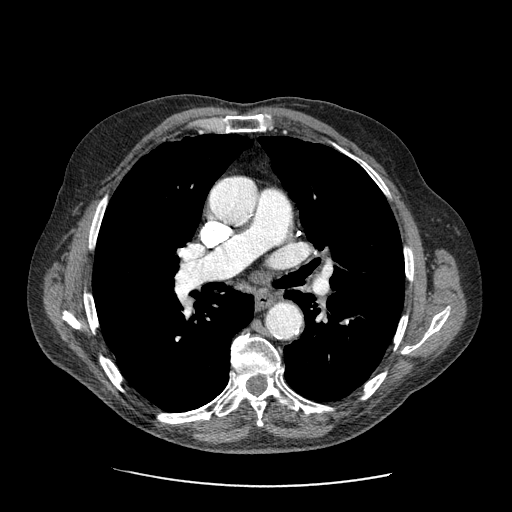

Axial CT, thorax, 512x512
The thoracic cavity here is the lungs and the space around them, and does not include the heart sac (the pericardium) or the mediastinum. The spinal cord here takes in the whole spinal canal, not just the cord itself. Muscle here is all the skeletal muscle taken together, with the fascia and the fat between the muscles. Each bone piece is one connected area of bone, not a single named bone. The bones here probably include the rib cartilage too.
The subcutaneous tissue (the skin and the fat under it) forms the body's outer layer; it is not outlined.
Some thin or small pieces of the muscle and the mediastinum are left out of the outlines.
The mediastinum appears in 2 outlined pieces: piece 1: 290,199 299,212 305,260 292,276 285,295 300,306 305,325 299,338 282,351 259,334 240,333 253,318 254,297 222,281 200,281 193,267 191,241 198,225 200,241 214,263 253,287 267,286 291,265 294,214; piece 2: 275,129 287,129 289,131 287,134 266,137 259,136 257,141 269,158 270,168 279,179 283,189 262,179 241,174 227,176 217,181 212,187 216,180 234,160 242,152 253,145 254,140 242,134 259,133. The pericardium is outlined by 233,175 253,177 274,185 285,192 288,196 292,206 293,248 292,249 290,265 280,277 267,285 253,286 230,274 214,262 209,252 202,243 198,233 198,228 200,224 200,220 203,212 204,205 210,191 217,182. The thoracic cavity appears in 2 outlined pieces: piece 1: 201,130 239,133 253,140 212,184 190,241 196,278 203,283 222,282 250,294 253,312 249,323 230,343 230,369 222,390 196,408 170,412 127,383 114,362 100,330 92,293 94,252 109,199 132,166 162,142; piece 2: 279,135 329,145 356,162 386,198 402,243 404,296 391,344 374,374 360,389 328,403 304,397 284,378 283,348 299,339 306,325 301,306 286,295 293,276 306,260 306,239 300,212 258,141 259,137. The bones appear in 11 outlined pieces: piece 1: 245,332 259,335 281,350 283,378 290,388 335,410 307,415 269,397 261,427 257,426 257,414 246,399 225,416 213,413 209,419 176,424 158,421 155,417 158,412 196,409 223,390 231,369 231,343 with a hole at 259,375 262,375 265,378 265,380 266,381 266,387 265,389 261,393 260,393 258,395 255,395 253,393 250,392 247,389 246,387 246,383 247,381 250,378 252,377 255,377; piece 2: 265,112 268,112 272,114 275,121 275,128 264,131 216,133 215,132 211,132 206,129 201,129 194,127 187,128 186,129 184,128 187,123 199,118 204,118 211,116 225,116 226,115 253,115 254,114 264,113; piece 3: 327,139 334,141 340,146 345,148 353,154 361,158 373,168 381,177 384,183 387,186 391,193 392,199 389,201 374,180 367,173 367,172 356,161 347,155 344,154 339,150 336,149 333,146 328,144 326,141; piece 4: 448,305 449,305 451,308 450,309 450,313 442,326 437,331 430,335 420,346 414,349 410,353 408,354 401,354 399,353 399,351 405,346 407,345 412,345 417,343 422,338 425,332 429,327 433,316 441,311; piece 5: 105,193 108,193 109,198 108,199 108,202 102,217 101,224 100,225 99,231 97,235 97,239 95,244 95,248 94,249 94,251 93,252 91,252 88,248 89,230 90,229 91,222 95,212 96,206 99,200; piece 6: 99,352 102,353 105,356 110,358 113,361 117,367 118,370 123,376 126,382 125,384 123,385 125,386 126,388 126,392 125,393 121,392 111,382 111,381 106,375 104,370 100,365 99,361 98,360 98,353; piece 7: 85,287 86,287 92,294 93,301 94,302 94,305 97,314 97,318 99,322 99,328 97,330 97,332 95,335 94,335 91,331 91,329 88,323 86,312 85,311 85,307 83,301 83,290; piece 8: 386,368 387,369 387,374 385,378 383,380 383,381 376,389 376,390 367,399 365,400 363,400 362,401 357,400 357,398 359,395 358,393 362,388 362,386 364,384 364,383 368,380 369,380 374,375 384,370; piece 9: 403,244 407,244 409,246 410,246 410,247 412,250 412,252 413,253 413,267 414,268 414,273 413,274 413,280 410,284 410,285 410,283 406,279 406,277 405,276 405,262 404,261 404,255 403,254; piece 10: 407,310 408,310 409,312 407,324 406,325 402,339 400,341 398,345 397,350 395,352 393,352 392,350 392,346 393,345 392,344 392,341 393,340 394,335 396,332 397,326 398,325 400,317 401,315; piece 11: 63,310 68,310 70,312 71,312 75,316 75,317 81,323 81,324 82,325 82,327 80,329 75,329 74,328 73,328 72,327 71,327 64,320 63,320 62,319 62,318 61,317 61,315 62,314 62,311. The torso is outlined by 180,93 235,102 298,96 372,117 403,141 426,183 459,214 469,231 483,289 481,318 473,338 435,379 358,436 320,449 270,454 214,453 180,446 122,419 54,365 35,340 26,307 30,260 74,148 105,117. The spinal cord is outlined by 259,375 262,375 265,378 265,380 266,381 266,387 265,389 261,393 260,393 258,395 255,395 253,393 250,392 247,389 246,387 246,383 247,381 250,378 252,377 255,377. The muscle is outlined by 205,106 219,106 220,107 231,108 237,110 240,113 244,113 250,109 262,106 285,107 304,112 328,124 340,134 351,140 362,150 372,156 384,168 402,195 414,218 415,223 424,233 446,247 455,258 459,271 460,282 467,301 467,313 462,328 451,341 450,344 445,350 431,362 421,370 406,379 383,400 363,415 345,423 340,424 330,430 327,433 319,437 316,438 305,438 304,439 302,438 299,439 297,438 281,438 273,435 267,430 254,429 251,433 241,440 233,441 232,442 219,443 218,444 212,444 203,441 199,441 191,436 188,436 184,434 173,433 153,426 150,423 142,420 128,411 100,385 80,361 78,357 74,354 62,340 45,312 43,306 43,300 42,299 42,295 43,294 43,287 42,286 46,270 59,257 70,243 78,226 78,224 96,189 135,144 144,135 158,125 165,118 180,111 183,111 194,107 204,107, around holes outlined by 265,112 289,136 334,141 387,186 401,242 413,253 402,339 377,366 375,375 386,368 387,374 376,390 362,401 359,389 330,401 332,412 307,415 269,397 261,427 246,399 225,416 160,422 155,415 162,410 126,382 121,392 98,360 99,352 114,356 100,329 92,333 83,301 84,288 92,291 88,239 96,206 150,150 200,131 185,129 190,121 and by 448,305 449,305 451,308 450,309 450,313 442,326 437,331 430,335 420,346 414,349 410,353 408,354 401,354 399,353 399,351 405,346 407,345 412,345 417,343 422,338 425,332 429,327 433,316 441,311 and by 63,310 68,310 70,312 71,312 75,316 75,317 81,323 81,324 82,325 82,327 80,329 75,329 74,328 73,328 72,327 71,327 64,320 63,320 62,319 62,318 61,317 61,315 62,314 62,311.